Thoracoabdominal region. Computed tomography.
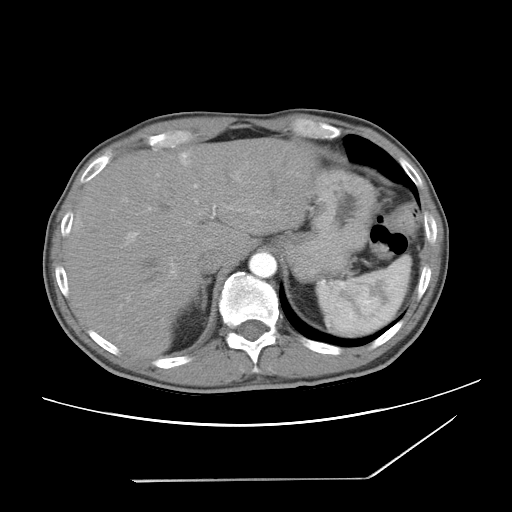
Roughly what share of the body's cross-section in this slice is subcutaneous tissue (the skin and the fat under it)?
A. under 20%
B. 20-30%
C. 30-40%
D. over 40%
Answer: A. under 20%
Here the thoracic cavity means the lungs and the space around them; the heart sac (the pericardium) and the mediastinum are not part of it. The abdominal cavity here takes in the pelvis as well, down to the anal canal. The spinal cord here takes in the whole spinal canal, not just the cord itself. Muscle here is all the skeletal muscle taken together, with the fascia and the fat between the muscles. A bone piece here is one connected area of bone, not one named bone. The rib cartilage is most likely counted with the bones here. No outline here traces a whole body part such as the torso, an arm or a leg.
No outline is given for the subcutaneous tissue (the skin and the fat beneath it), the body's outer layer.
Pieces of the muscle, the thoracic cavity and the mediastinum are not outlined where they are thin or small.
The spinal cord is outlined by 248 320; 258 320; 262 322; 267 327; 267 330; 266 330; 262 334; 261 334; 256 339; 254 340; 249 340; 247 339; 245 337; 239 334; 237 332; 236 330; 236 327; 240 324; 241 324; 243 322; 245 321; 247 321. The mediastinum is outlined by 340 136; 343 136; 342 138; 342 142; 343 143; 343 146; 344 147; 345 152; 340 152; 339 151; 337 151; 328 146; 326 146; 324 144; 322 144; 319 142; 316 142; 315 141; 315 139; 321 139; 322 140; 331 140; 332 139; 337 138. The bones appear in 13 outlined pieces: piece 1: 244 272; 266 281; 274 289; 278 296; 282 314; 276 322; 277 332; 281 336; 276 339; 274 344; 264 346; 259 352; 256 363; 259 372; 252 371; 254 364; 244 350; 228 346; 226 336; 230 328; 223 322; 218 306; 226 279; 229 276 with a hole at 248 320; 258 320; 262 322; 267 327; 267 330; 266 330; 262 334; 261 334; 256 339; 254 340; 249 340; 247 339; 245 337; 239 334; 237 332; 236 330; 236 327; 240 324; 241 324; 243 322; 245 321; 247 321; piece 2: 297 118; 310 119; 316 122; 324 122; 325 123; 333 125; 336 127; 340 128; 342 130; 341 131; 341 134; 339 136; 332 138; 331 139; 322 139; 321 138; 314 138; 313 137; 308 137; 307 136; 298 135; 294 133; 291 129; 291 122; piece 3: 176 130; 188 130; 190 131; 194 135; 194 136; 191 139; 187 141; 185 141; 181 143; 178 143; 174 146; 159 146; 158 145; 149 145; 146 142; 146 138; 150 135; 156 135; 157 134; 159 134; 163 132; 172 132; piece 4: 107 151; 111 151; 112 153; 112 156; 110 160; 106 164; 106 165; 91 179; 90 179; 85 183; 82 183; 80 181; 81 176; 84 172; 84 171; 86 169; 86 168; 89 165; 89 164; 93 160; 99 157; 101 155; 104 154; piece 5: 300 334; 306 338; 308 338; 315 341; 324 342; 325 343; 328 343; 329 344; 339 346; 341 347; 342 350; 339 354; 337 354; 336 355; 334 354; 330 354; 329 353; 320 353; 316 351; 313 351; 303 345; 299 337; 299 335; piece 6: 181 355; 187 355; 188 356; 190 356; 192 358; 192 359; 189 362; 187 362; 184 364; 173 366; 169 368; 162 368; 161 367; 158 367; 152 363; 152 361; 157 358; 161 358; 162 357; 172 358; 173 357; 175 357; 176 356; 180 356; piece 7: 425 211; 427 211; 434 218; 434 219; 435 220; 435 222; 436 223; 436 227; 437 228; 437 232; 436 233; 436 238; 435 239; 435 241; 433 244; 431 244; 426 239; 426 234; 425 233; 425 228; 424 227; 424 216; 423 215; 423 213; piece 8: 400 319; 402 319; 403 321; 402 325; 400 327; 400 328; 388 340; 387 340; 384 343; 377 346; 375 348; 373 348; 372 349; 370 349; 369 348; 370 344; 373 340; 377 338; 387 329; 388 329; 391 326; 392 326; 398 320; piece 9: 88 329; 91 329; 93 330; 99 335; 100 335; 103 338; 104 338; 106 340; 109 341; 111 343; 115 345; 119 349; 120 351; 120 353; 118 355; 116 355; 104 349; 91 338; 91 337; 88 334; 87 332; 87 330; piece 10: 424 265; 427 265; 430 268; 431 270; 431 274; 430 275; 430 278; 429 279; 428 285; 424 293; 422 295; 420 299; 418 300; 417 299; 417 286; 418 285; 418 282; 419 281; 419 278; 420 277; 421 270; 422 269; 422 267; piece 11: 57 265; 61 265; 63 266; 65 270; 65 273; 67 277; 67 283; 68 284; 68 288; 69 289; 69 295; 68 297; 65 297; 64 296; 64 295; 60 290; 60 288; 57 283; 57 281; 56 280; 56 277; 55 276; 55 268; piece 12: 400 157; 402 157; 404 159; 405 159; 416 171; 416 172; 418 174; 418 175; 420 177; 420 178; 422 181; 422 187; 417 187; 417 186; 414 183; 414 182; 405 172; 405 171; 403 169; 403 168; 401 166; 401 165; 398 162; 398 159; piece 13: 69 210; 71 210; 73 212; 73 217; 72 218; 72 221; 71 222; 71 227; 70 228; 70 230; 69 231; 69 233; 66 236; 63 236; 61 234; 61 221; 62 220; 62 218; 64 216; 64 215; 66 213; 66 212; 67 211; 68 211. The muscle is outlined by 294 113; 303 113; 304 114; 311 114; 323 117; 328 117; 345 121; 356 125; 361 125; 369 127; 384 136; 398 147; 414 163; 424 178; 424 180; 428 187; 428 190; 431 198; 441 219; 443 228; 443 242; 442 243; 442 252; 441 253; 441 264; 438 275; 438 280; 434 288; 432 296; 423 314; 410 332; 384 353; 368 363; 356 368; 348 369; 344 371; 340 371; 330 374; 324 374; 319 376; 310 376; 309 377; 284 378; 276 375; 265 375; 262 377; 257 378; 253 376; 241 381; 233 381; 225 385; 214 385; 213 386; 196 386; 195 385; 177 384; 176 383; 162 381; 140 373; 134 372; 114 364; 100 354; 97 353; 81 340; 66 322; 57 304; 56 294; 50 275; 50 269; 49 268; 50 260; 49 257; 50 256; 51 239; 53 234; 53 230; 57 214; 78 173; 83 166; 97 152; 104 147; 131 134; 142 127; 155 122; 159 122; 165 120; 172 120; 178 118; 200 117; 201 116; 205 117; 234 117; 235 118; 251 118; 252 119; 271 119 with a hole at 297 118; 338 127; 341 136; 368 139; 396 161; 405 159; 422 181; 417 188; 421 209; 434 218; 437 228; 434 243; 426 239; 423 248; 422 265; 431 274; 420 299; 415 290; 400 328; 375 348; 369 348; 370 341; 342 346; 335 355; 304 346; 283 314; 276 322; 281 336; 259 352; 259 372; 252 371; 254 364; 244 350; 228 346; 230 328; 216 312; 199 343; 184 351; 192 359; 169 368; 123 349; 116 355; 94 341; 55 276; 56 266; 64 265; 61 221; 67 211; 74 211; 84 185; 80 179; 89 164; 107 151; 113 158; 148 146; 148 136; 163 132; 188 130; 194 138; 210 138; 228 128; 256 126; 292 133; 291 122. The thoracic cavity appears in 2 outlined pieces: piece 1: 347 134; 355 134; 368 139; 386 151; 397 161; 404 172; 416 186; 419 195; 420 204; 416 201; 414 195; 407 186; 402 183; 390 179; 389 177; 387 177; 378 169; 371 165; 360 163; 357 161; 352 161; 347 155; 343 142; 343 138; piece 2: 280 285; 283 288; 285 297; 291 309; 302 321; 320 332; 323 332; 337 338; 344 339; 365 338; 371 336; 395 320; 397 320; 377 337; 361 345; 340 346; 324 341; 315 340; 306 337; 297 331; 282 313; 278 295; 278 293; 281 291. The abdominal cavity is outlined by 250 126; 313 138; 410 190; 423 212; 425 242; 416 289; 403 315; 371 335; 337 337; 302 320; 281 284; 276 292; 244 271; 225 279; 219 313; 183 354; 152 359; 120 349; 88 326; 70 295; 64 250; 84 184; 130 148; 174 147.